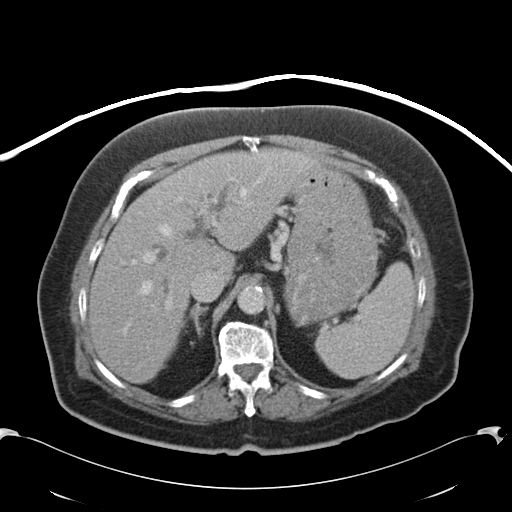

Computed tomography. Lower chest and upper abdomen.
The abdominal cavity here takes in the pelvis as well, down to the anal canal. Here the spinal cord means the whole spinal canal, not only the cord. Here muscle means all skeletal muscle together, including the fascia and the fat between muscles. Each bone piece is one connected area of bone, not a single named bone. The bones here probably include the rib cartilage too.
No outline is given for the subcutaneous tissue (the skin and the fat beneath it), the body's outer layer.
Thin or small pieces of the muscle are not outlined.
The bones appear in 12 outlined pieces: piece 1: 230,320 239,320 265,328 273,343 274,365 269,371 272,391 268,392 263,388 256,390 253,396 255,413 250,417 244,412 246,400 243,393 235,389 229,395 228,376 225,374 220,378 217,377 221,360 218,333, around a hole outlined by 252,363 254,363 255,364 259,364 261,366 261,368 260,370 257,373 257,374 252,379 251,379 249,381 247,381 245,380 238,373 237,373 235,371 235,369 234,367 236,365 241,365 242,364 251,364; piece 2: 150,169 154,170 153,174 148,178 139,181 129,191 127,196 125,198 123,206 119,213 117,219 113,222 110,219 110,213 111,212 112,206 115,201 116,195 119,190 119,187 121,184 132,174 142,170 149,170; piece 3: 362,168 368,168 374,171 378,175 383,176 389,180 396,190 398,196 398,199 397,200 398,209 397,211 394,209 392,203 388,198 384,190 381,187 370,181 365,177 363,177 358,173 356,173 356,172 354,171; piece 4: 94,358 97,358 103,364 103,365 105,366 105,367 107,368 108,370 109,370 110,372 111,372 118,379 119,379 123,383 124,383 125,384 125,388 121,388 117,386 112,382 111,382 99,370 96,364 94,362; piece 5: 404,352 406,352 407,353 407,356 405,358 404,361 398,367 397,367 393,371 392,371 383,378 379,380 377,380 374,382 372,381 374,379 375,379 383,370 384,370 388,366 389,366 401,354 402,354; piece 6: 81,287 84,287 86,289 86,304 87,305 87,308 86,309 86,318 85,319 85,321 84,322 82,322 81,321 81,320 80,319 80,315 79,314 79,307 78,306 78,295 79,294 79,290 80,289 80,288; piece 7: 297,383 300,383 310,388 313,388 316,390 319,390 320,391 322,391 324,392 327,395 327,396 325,398 322,398 321,399 319,399 318,398 315,398 314,397 306,395 302,393 299,390 298,386 297,385; piece 8: 100,238 104,238 104,243 103,244 103,246 102,247 99,254 97,256 97,258 96,259 93,266 92,266 91,265 90,265 88,262 88,260 89,259 89,255 90,254 91,249 92,248 94,243 98,239 99,239; piece 9: 422,275 423,276 424,276 424,277 425,278 425,283 426,284 426,290 425,291 425,297 424,298 424,300 423,301 423,303 422,304 422,305 419,308 417,306 417,294 418,293 418,281 419,280 420,277; piece 10: 188,396 195,396 195,399 192,402 190,402 189,403 187,403 186,404 185,404 180,407 172,407 171,406 169,406 167,404 167,403 170,400 171,400 172,399 174,399 175,398 178,398 179,397 187,397; piece 11: 412,237 413,238 414,238 418,242 418,243 419,244 419,247 420,248 420,252 421,253 420,254 420,257 418,259 417,259 416,258 413,258 412,257 412,256 410,253 410,251 409,250 409,247 408,246 408,240; piece 12: 243,135 247,135 248,136 258,136 260,138 260,142 254,148 250,148 247,145 246,145 239,138 238,138 240,136 242,136. The abdominal cavity is outlined by 236,142 250,149 269,142 335,162 381,188 397,212 413,260 417,307 403,352 368,383 323,391 296,379 274,355 257,284 240,290 217,322 218,366 195,395 157,396 123,382 97,357 87,291 130,194 164,166. The mediastinum is outlined by 247,285 257,285 262,289 264,293 264,297 266,303 266,314 268,317 268,320 270,324 270,333 265,327 258,324 247,322 239,319 230,319 227,320 219,328 217,333 217,340 216,330 218,322 225,314 236,296. The muscle appears in 2 outlined pieces: piece 1: 252,134 291,134 323,141 347,149 383,169 408,197 425,234 435,269 436,311 427,334 419,367 362,401 307,421 272,420 254,415 256,413 254,396 257,390 263,389 268,393 273,391 270,371 275,365 275,358 296,380 301,382 297,382 296,385 302,394 319,400 328,396 325,392 327,391 353,390 370,382 379,381 389,375 408,356 404,350 412,332 417,308 419,309 423,305 426,297 426,278 422,274 417,279 413,259 418,260 422,253 419,242 412,236 407,238 405,226 398,215 399,196 389,179 368,167 352,170 335,161 297,147 261,141 258,135 248,135; piece 2: 236,134 244,134 237,138 241,141 212,149 192,159 164,165 156,170 152,168 139,170 120,184 109,213 109,219 113,224 105,239 100,237 93,243 87,260 88,264 93,267 89,284 87,290 81,286 77,295 79,319 82,323 86,322 89,339 96,356 93,358 93,362 98,370 117,387 125,389 126,384 136,387 157,397 168,399 166,404 169,407 180,408 192,403 216,372 218,379 227,376 229,396 235,390 242,393 245,400 244,416 209,425 187,424 130,406 111,396 97,384 77,375 74,366 74,332 68,314 71,277 94,223 122,177 132,166 168,149. The torso is outlined by 294,104 346,106 385,118 413,135 443,170 457,207 474,291 470,327 454,383 404,420 336,445 274,455 170,449 109,433 70,415 53,388 38,317 37,285 69,194 85,166 118,133 154,116 204,108. The spinal cord is outlined by 252,363 254,363 255,364 259,364 261,366 261,368 260,370 257,373 257,374 252,379 251,379 249,381 247,381 245,380 238,373 237,373 235,371 235,369 234,367 236,365 241,365 242,364 251,364.